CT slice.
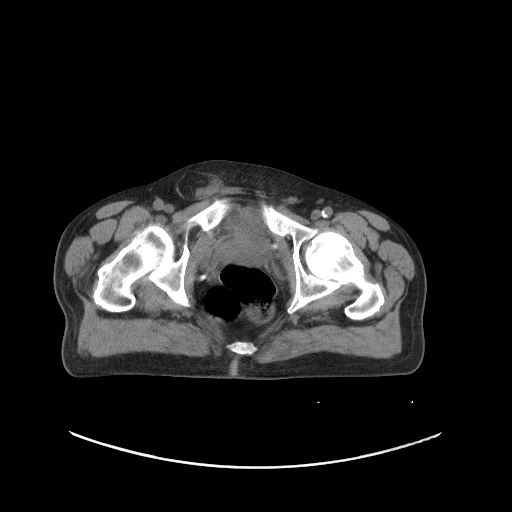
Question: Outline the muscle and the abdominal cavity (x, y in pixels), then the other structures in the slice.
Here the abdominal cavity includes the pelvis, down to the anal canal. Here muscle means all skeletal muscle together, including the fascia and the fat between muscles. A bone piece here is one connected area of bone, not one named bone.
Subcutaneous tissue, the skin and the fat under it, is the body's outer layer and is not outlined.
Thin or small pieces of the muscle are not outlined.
Answer: The muscle appears in 2 outlined pieces: piece 1: 222,185 261,190 279,200 283,199 291,210 312,221 327,220 334,212 343,209 365,209 383,217 410,251 415,263 414,277 399,310 401,352 390,358 372,358 320,351 269,363 258,363 244,355 236,358 226,354 215,357 130,352 98,358 80,356 77,336 83,304 65,273 64,258 73,238 86,221 100,207 121,200 140,201 163,213 173,213 200,201; inner edges: 222,197 340,233 384,303 353,320 344,308 360,291 344,284 254,339 231,340 196,307 216,240 214,228 197,225 187,241 189,307 141,277 131,309 105,310 92,296 97,270 135,231 159,224 176,259 181,225, then 238,340 240,340 241,341 245,341 246,342 251,342 257,348 257,349 251,355 247,355 246,354 239,354 235,352 232,352 230,351 227,348 226,348 226,345 234,341 237,341; piece 2: 274,234 276,234 280,237 284,237 288,235 290,236 292,243 291,257 294,270 294,292 291,301 287,307 286,304 290,296 290,281 288,278 288,273 285,270 279,259 279,255 278,254 278,250 279,249 273,236. The abdominal cavity is outlined by 235,200 248,200 258,204 263,221 273,234 278,249 278,259 289,281 289,296 285,304 285,313 254,339 247,337 229,339 196,307 195,291 199,281 198,274 207,267 212,255 216,240 214,228 232,209 232,201. The bones appear in 3 outlined pieces: piece 1: 222,197 229,197 232,207 220,222 209,232 197,225 188,233 183,285 189,307 174,302 143,277 131,285 136,299 131,309 110,312 94,302 98,268 112,260 135,231 159,224 173,239 176,259 183,251 181,225; piece 2: 262,201 303,225 320,231 330,229 344,236 362,262 365,277 381,286 384,303 379,310 362,320 349,318 344,308 360,291 353,284 344,284 289,314 286,310 295,292 292,238 269,229 260,211 259,203; piece 3: 238,340 240,340 241,341 245,341 246,342 251,342 257,348 257,349 251,355 247,355 246,354 239,354 235,352 232,352 230,351 227,348 226,348 226,345 234,341 237,341. The torso is outlined by 209,159 266,165 344,192 377,208 410,235 422,257 427,281 423,315 425,350 422,362 414,372 380,377 248,380 150,375 79,378 65,370 60,352 65,319 53,288 54,256 64,228 82,210 110,194.